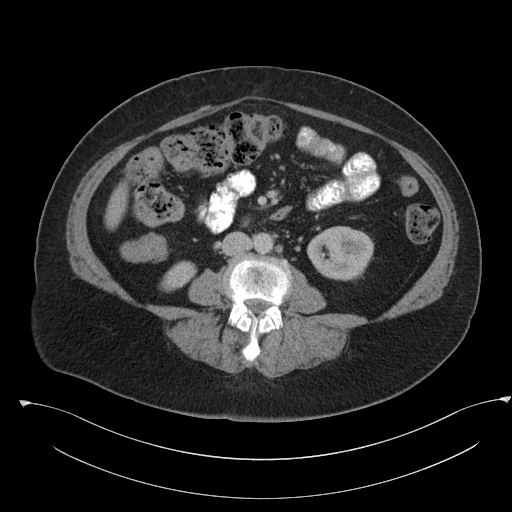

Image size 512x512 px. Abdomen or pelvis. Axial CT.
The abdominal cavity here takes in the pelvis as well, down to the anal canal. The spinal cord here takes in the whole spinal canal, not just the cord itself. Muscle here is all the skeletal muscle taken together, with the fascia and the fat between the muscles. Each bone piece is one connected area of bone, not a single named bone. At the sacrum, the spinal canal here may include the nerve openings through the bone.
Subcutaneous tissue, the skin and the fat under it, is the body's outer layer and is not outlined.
{"abdominal_cavity":[[[248,100],[375,136],[397,150],[427,185],[442,218],[438,250],[412,286],[379,315],[319,313],[326,299],[299,269],[285,257],[253,252],[234,255],[218,271],[206,267],[191,281],[187,297],[198,308],[143,303],[95,253],[88,208],[112,168],[142,141]]],"bones":[{"outer":[[241,253],[253,253],[257,257],[275,256],[285,258],[290,265],[292,277],[288,292],[283,297],[279,306],[283,325],[258,336],[260,351],[252,361],[247,360],[242,354],[242,349],[248,343],[250,334],[227,322],[232,300],[226,294],[224,272],[230,259]],"hole":[[249,299],[260,299],[263,301],[265,301],[266,302],[267,302],[268,303],[269,303],[269,306],[267,308],[266,308],[264,310],[263,310],[261,312],[260,312],[258,314],[255,314],[250,309],[249,309],[247,307],[247,306],[245,304],[245,301],[246,301]]}],"torso":[[[234,65],[321,71],[373,89],[420,121],[460,171],[480,231],[478,302],[457,348],[409,390],[368,407],[315,419],[210,419],[124,398],[54,371],[38,357],[30,335],[28,310],[35,284],[35,238],[48,192],[66,157],[103,115],[135,93],[182,74]]],"spinal_cord":[[[249,299],[260,299],[263,301],[265,301],[266,302],[267,302],[268,303],[269,303],[269,306],[267,308],[266,308],[264,310],[263,310],[261,312],[260,312],[258,314],[255,314],[250,309],[249,309],[247,307],[247,306],[245,304],[245,301],[246,301]]],"muscle":[{"outer":[[246,95],[257,95],[270,97],[312,107],[316,109],[320,109],[323,111],[350,119],[416,152],[428,163],[441,179],[453,202],[458,219],[459,245],[453,275],[445,292],[437,300],[419,309],[402,314],[391,319],[385,319],[379,322],[364,324],[353,328],[350,331],[349,344],[341,355],[333,361],[308,375],[273,379],[260,373],[254,368],[246,368],[238,373],[231,375],[220,375],[212,373],[187,360],[172,348],[165,337],[162,322],[156,315],[142,308],[136,307],[124,300],[98,290],[78,278],[71,269],[67,257],[67,248],[65,238],[66,219],[72,196],[82,177],[97,160],[116,146],[141,134],[149,132],[178,116],[186,114],[202,107],[211,107],[231,102],[235,99]],"hole":[[248,100],[381,139],[427,185],[442,218],[428,267],[375,317],[319,313],[324,295],[291,265],[283,325],[258,336],[252,361],[242,354],[250,334],[227,322],[225,267],[206,267],[189,284],[198,308],[143,303],[114,279],[87,230],[94,193],[130,150]]}]}